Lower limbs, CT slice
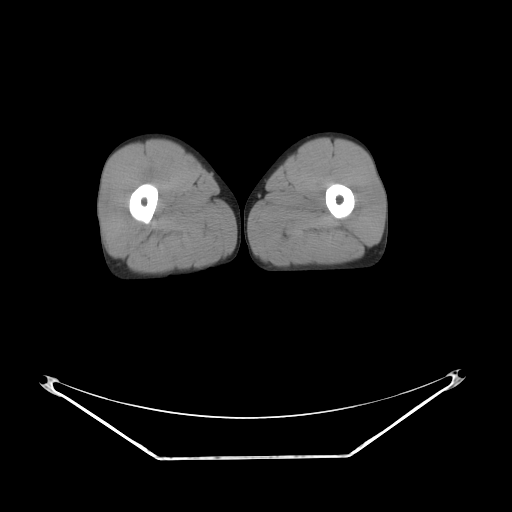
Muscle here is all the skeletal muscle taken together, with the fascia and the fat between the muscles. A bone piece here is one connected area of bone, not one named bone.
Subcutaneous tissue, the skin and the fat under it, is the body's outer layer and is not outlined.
The muscle appears in 2 outlined pieces: piece 1: (139, 138) (165, 138) (179, 143) (183, 145) (212, 173) (226, 202) (232, 209) (236, 219) (237, 226) (236, 244) (234, 249) (229, 255) (211, 265) (157, 274) (132, 273) (119, 267) (111, 260) (103, 246) (99, 212) (99, 202) (104, 171) (110, 157) (118, 149); inner edge: (143, 183) (151, 183) (153, 184) (157, 188) (158, 190) (158, 200) (157, 201) (157, 205) (156, 206) (155, 211) (149, 223) (144, 223) (139, 220) (137, 220) (135, 219) (131, 215) (129, 211) (129, 208) (128, 207) (128, 201) (129, 200) (129, 197) (131, 193) (139, 185); piece 2: (322, 136) (338, 136) (350, 140) (362, 147) (372, 159) (377, 177) (383, 187) (385, 194) (385, 228) (381, 241) (377, 245) (368, 250) (361, 258) (349, 261) (342, 265) (274, 266) (268, 262) (263, 262) (254, 254) (249, 242) (246, 229) (248, 212) (265, 179) (305, 141), around a hole outlined by (336, 182) (344, 184) (349, 187) (351, 189) (354, 195) (354, 198) (355, 199) (355, 203) (354, 204) (354, 207) (352, 211) (347, 216) (343, 218) (336, 218) (334, 216) (333, 216) (327, 208) (326, 204) (325, 203) (325, 190) (326, 188) (330, 184) (332, 183) (335, 183). The right leg is outlined by (146, 132) (169, 133) (185, 140) (209, 161) (233, 192) (239, 205) (242, 231) (239, 251) (230, 263) (190, 275) (172, 276) (165, 279) (143, 281) (121, 281) (114, 277) (107, 268) (101, 249) (99, 227) (96, 216) (96, 196) (101, 169) (106, 157) (117, 144) (129, 137). The bones appear in 2 outlined pieces: piece 1: (143, 183) (151, 183) (153, 184) (157, 188) (158, 190) (158, 200) (157, 201) (157, 205) (156, 206) (155, 211) (149, 223) (144, 223) (139, 220) (137, 220) (135, 219) (131, 215) (129, 211) (129, 208) (128, 207) (128, 201) (129, 200) (129, 197) (131, 193) (139, 185); piece 2: (336, 182) (344, 184) (349, 187) (351, 189) (354, 195) (354, 198) (355, 199) (355, 203) (354, 204) (354, 207) (352, 211) (347, 216) (343, 218) (336, 218) (334, 216) (333, 216) (327, 208) (326, 204) (325, 203) (325, 190) (326, 188) (330, 184) (332, 183) (335, 183). The left leg is outlined by (320, 131) (338, 131) (350, 134) (361, 140) (370, 150) (375, 160) (378, 172) (387, 193) (388, 236) (384, 254) (373, 267) (367, 269) (277, 273) (265, 272) (253, 263) (246, 247) (243, 234) (242, 220) (245, 202) (250, 192) (261, 176) (288, 146) (308, 134).